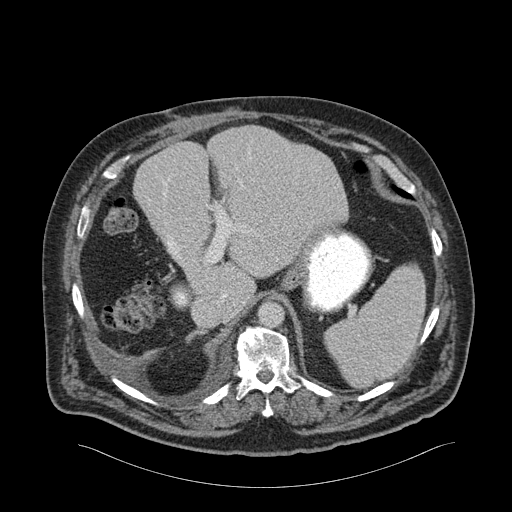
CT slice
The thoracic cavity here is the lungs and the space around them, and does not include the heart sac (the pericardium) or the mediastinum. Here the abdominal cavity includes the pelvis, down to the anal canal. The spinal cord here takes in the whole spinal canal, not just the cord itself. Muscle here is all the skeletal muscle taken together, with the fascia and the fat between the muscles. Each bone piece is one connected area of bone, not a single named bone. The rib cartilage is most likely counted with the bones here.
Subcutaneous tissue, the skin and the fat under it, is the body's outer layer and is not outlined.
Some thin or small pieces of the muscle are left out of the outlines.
Outlines (x, y in pixels):
bones 1: 247 325; 269 328; 285 335; 296 372; 335 395; 321 396; 304 386; 287 393; 276 386; 267 395; 273 411; 269 417; 261 413; 265 407; 266 395; 260 390; 252 389; 241 399; 236 399; 235 386; 240 379; 233 373; 237 366; 236 340 with a hole at 262 370; 269 370; 270 371; 271 371; 273 373; 273 376; 270 379; 270 380; 269 380; 267 382; 263 382; 262 381; 261 381; 257 377; 257 374; 260 371; 261 371
bones 2: 353 142; 360 144; 364 144; 367 146; 369 146; 371 148; 371 152; 372 153; 380 153; 387 156; 398 169; 414 184; 416 188; 415 195; 413 196; 402 188; 399 187; 386 171; 371 157; 371 154; 370 153; 357 151; 351 148; 350 145
bones 3: 111 375; 114 375; 123 382; 139 390; 141 392; 151 398; 154 401; 157 402; 159 404; 159 405; 157 406; 156 405; 153 405; 150 403; 145 402; 142 400; 140 400; 137 398; 135 398; 129 395; 127 393; 122 391; 113 383; 110 378
bones 4: 126 154; 130 154; 131 156; 130 158; 127 161; 125 165; 119 172; 118 174; 118 176; 116 178; 114 179; 108 179; 107 178; 104 178; 102 177; 101 174; 106 167; 107 167; 112 162; 115 161; 120 157; 122 156; 124 156
bones 5: 390 380; 394 380; 395 381; 395 383; 388 390; 387 390; 385 392; 375 397; 373 397; 370 399; 368 399; 364 401; 358 401; 356 399; 356 397; 358 395; 360 394; 362 394; 370 390; 372 388; 384 382; 386 382
bones 6: 86 202; 88 202; 88 205; 90 209; 90 215; 89 216; 89 222; 86 228; 86 230; 84 233; 84 237; 82 239; 80 239; 77 237; 77 235; 76 234; 77 232; 77 224; 78 223; 78 219; 80 215; 81 208; 82 206
bones 7: 436 305; 438 305; 439 306; 439 313; 438 314; 437 320; 432 330; 430 332; 429 335; 426 338; 424 342; 421 345; 418 345; 418 343; 420 340; 420 338; 423 333; 424 327; 427 321; 428 316; 432 308
bones 8: 229 381; 231 382; 231 385; 229 388; 229 390; 228 391; 227 395; 223 397; 218 402; 216 403; 213 403; 212 404; 205 404; 204 403; 201 403; 201 400; 202 399; 203 399; 208 395; 211 394; 220 387; 221 387; 225 383
bones 9: 73 282; 75 282; 77 284; 80 290; 80 292; 81 293; 81 297; 82 298; 82 301; 83 302; 83 305; 84 306; 84 317; 83 318; 81 318; 79 316; 73 304; 73 301; 72 300; 72 296; 71 295; 71 289; 72 288; 72 283
bones 10: 432 227; 433 227; 437 232; 437 233; 441 240; 441 242; 442 243; 442 252; 441 253; 441 254; 439 256; 435 256; 435 254; 434 253; 434 250; 433 249; 433 247; 432 246; 432 241; 431 240; 431 236; 430 235; 430 230
mediastinum 1: 267 294; 279 295; 282 297; 285 302; 290 311; 291 318; 295 328; 296 343; 289 343; 288 337; 278 330; 275 330; 269 327; 257 324; 256 325; 247 324; 240 331; 240 323; 242 321; 242 319; 248 313; 250 308; 254 305; 257 299
mediastinum 2: 380 167; 381 167; 385 171; 385 172; 389 176; 389 177; 394 182; 394 183; 396 185; 394 185; 392 187; 393 188; 393 189; 390 186; 389 186; 388 185; 387 185; 383 181; 383 180; 382 179; 382 177; 381 176; 381 170; 380 169
spinal cord: 262 370; 269 370; 270 371; 271 371; 273 373; 273 376; 270 379; 270 380; 269 380; 267 382; 263 382; 262 381; 261 381; 257 377; 257 374; 260 371; 261 371
muscle: 228 108; 310 117; 362 132; 395 153; 436 200; 447 232; 457 315; 453 369; 438 390; 348 430; 302 434; 272 416; 268 395; 276 387; 287 394; 304 387; 326 398; 356 394; 364 402; 396 383; 438 320; 434 255; 442 254; 443 243; 428 228; 415 184; 387 155; 355 141; 349 147; 330 144; 292 123; 261 116; 188 133; 134 161; 127 163; 132 155; 126 153; 106 166; 101 177; 115 181; 101 196; 79 269; 109 378; 122 392; 157 407; 216 404; 229 393; 232 382; 226 381; 236 361; 235 399; 260 391; 264 417; 221 438; 200 438; 154 428; 66 393; 60 383; 67 303; 61 263; 77 191; 108 153; 138 135; 180 116, around holes outlined by 86 202; 88 202; 88 205; 90 209; 90 215; 89 216; 89 222; 86 228; 86 230; 84 233; 84 237; 82 239; 80 239; 77 237; 77 235; 76 234; 77 232; 77 224; 78 223; 78 219; 80 215; 81 208; 82 206 and by 73 282; 75 282; 77 284; 80 290; 80 292; 81 293; 81 297; 82 298; 82 301; 83 302; 83 305; 84 306; 84 317; 83 318; 81 318; 79 316; 73 304; 73 301; 72 300; 72 296; 71 295; 71 289; 72 288; 72 283
abdominal cavity: 261 117; 369 154; 382 181; 415 200; 434 254; 432 307; 403 370; 362 393; 341 393; 297 372; 291 311; 281 295; 267 293; 218 344; 205 387; 175 401; 161 400; 133 364; 98 342; 81 277; 84 241; 102 196; 126 164; 188 134
thoracic cavity 1: 241 318; 235 340; 236 359; 227 379; 217 389; 190 405; 173 407; 160 403; 123 381; 108 367; 100 347; 133 365; 141 383; 153 396; 164 402; 175 402; 198 394; 206 387; 211 379; 219 344; 223 344; 232 334; 237 321
thoracic cavity 2: 394 186; 397 186; 399 188; 400 188; 401 189; 402 189; 404 191; 405 191; 407 193; 408 193; 413 197; 412 198; 408 198; 407 197; 405 197; 404 196; 403 196; 402 195; 401 195; 399 193; 398 193; 394 189; 394 188; 393 187
torso: 255 95; 316 97; 363 109; 407 131; 434 160; 464 230; 475 296; 467 362; 455 396; 433 416; 398 431; 326 451; 274 457; 186 450; 139 437; 94 417; 58 410; 45 379; 41 260; 48 213; 68 166; 95 135; 126 118; 191 101